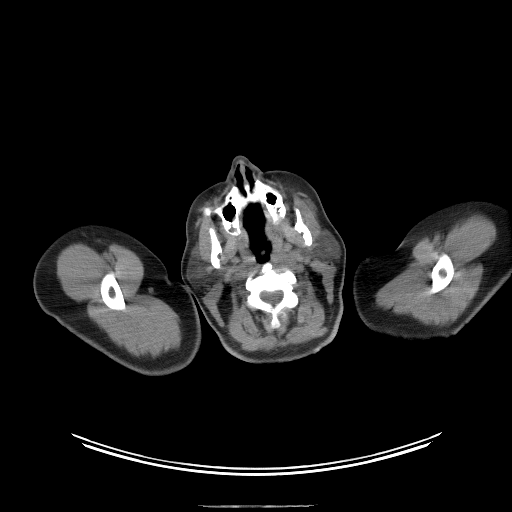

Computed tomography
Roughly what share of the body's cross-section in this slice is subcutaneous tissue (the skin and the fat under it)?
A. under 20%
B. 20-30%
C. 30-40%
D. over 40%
Answer: C. 30-40%
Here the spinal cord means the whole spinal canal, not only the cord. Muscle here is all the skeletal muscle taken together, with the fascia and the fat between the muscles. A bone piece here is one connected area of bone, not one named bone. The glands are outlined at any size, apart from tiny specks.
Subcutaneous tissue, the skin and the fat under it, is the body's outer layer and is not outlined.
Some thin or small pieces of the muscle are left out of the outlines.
{"bones":[{"outer":[[243,170],[251,184],[255,176],[281,194],[285,215],[277,224],[273,224],[271,219],[265,219],[258,203],[250,203],[243,214],[243,226],[247,235],[243,232],[233,236],[226,232],[215,213],[205,216],[202,210],[204,207],[220,204],[235,182],[243,193]],"holes":[[[229,204],[230,204],[233,207],[233,208],[234,209],[234,213],[233,214],[233,216],[230,219],[228,219],[225,216],[225,215],[224,214],[224,209]],[[268,194],[269,194],[270,194],[271,194],[272,195],[273,196],[274,197],[274,198],[274,199],[274,200],[273,201],[273,202],[272,202],[271,202],[270,202],[269,201],[268,201],[268,200],[268,199],[268,198],[268,197],[268,196],[268,195]]]},{"outer":[[267,261],[274,269],[290,269],[296,277],[293,290],[298,297],[297,304],[287,308],[285,314],[278,316],[280,325],[277,328],[271,327],[271,316],[268,313],[250,308],[246,304],[249,292],[245,287],[245,281],[251,272],[257,274],[262,264]],"hole":[[278,290],[279,290],[282,292],[282,297],[281,298],[281,299],[275,305],[272,305],[269,302],[266,302],[265,301],[264,301],[260,297],[260,294],[261,293],[261,292],[262,292],[263,291],[265,291],[266,292],[274,292],[275,291],[277,291]]},[[442,253],[447,254],[451,259],[451,261],[453,264],[453,267],[454,268],[454,275],[450,282],[443,289],[438,292],[436,292],[432,294],[429,294],[428,293],[428,290],[431,286],[431,278],[430,277],[430,274],[433,266],[437,261],[438,256]],[[111,271],[115,273],[117,282],[122,292],[122,294],[124,298],[124,301],[125,302],[125,305],[126,306],[125,310],[114,310],[113,309],[111,309],[109,308],[102,300],[102,298],[101,297],[101,293],[100,292],[100,284],[101,283],[101,280],[105,274]],[[209,227],[213,227],[214,228],[216,236],[221,244],[221,252],[218,255],[218,257],[219,258],[219,262],[220,263],[220,266],[219,268],[215,268],[211,264],[211,262],[210,261],[210,254],[211,253],[211,242],[210,241],[210,235],[208,230],[209,229]],[[294,208],[298,208],[299,209],[302,220],[307,226],[311,233],[311,235],[312,236],[312,243],[311,245],[309,246],[306,246],[304,244],[304,239],[303,238],[303,235],[302,233],[301,232],[298,232],[294,228],[294,225],[296,221],[296,215],[294,211]]],"parotid_glands":[[[324,229],[328,230],[328,231],[331,234],[332,234],[339,245],[339,251],[340,252],[340,254],[339,255],[338,260],[333,260],[332,259],[328,259],[327,260],[320,260],[314,256],[314,248],[315,247],[315,238],[316,237],[316,235],[320,230],[323,230]],[[192,253],[195,253],[195,254],[198,257],[199,257],[202,260],[206,262],[205,263],[205,266],[207,268],[208,283],[207,285],[203,289],[194,289],[192,285],[192,283],[188,279],[187,277],[187,268],[188,267],[188,262],[189,261],[190,256]]],"spinal_cord":[[[278,290],[279,290],[282,292],[282,297],[281,298],[281,299],[275,305],[272,305],[269,302],[266,302],[265,301],[264,301],[260,297],[260,294],[261,293],[261,292],[262,292],[263,291],[265,291],[266,292],[274,292],[275,291],[277,291]]],"left_arm":[[[469,199],[492,200],[503,203],[506,207],[509,222],[509,235],[511,238],[511,274],[507,281],[466,325],[455,335],[448,338],[405,342],[373,333],[360,320],[352,297],[352,276],[357,265],[366,256],[376,251],[393,250],[412,226],[432,212],[452,203]]],"head_and_neck":[{"outer":[[238,154],[246,156],[264,171],[287,170],[307,180],[317,192],[328,218],[345,245],[343,312],[337,333],[330,343],[317,352],[300,359],[257,364],[232,355],[220,343],[181,278],[180,261],[186,242],[185,222],[189,207],[200,192],[225,178],[233,157]],"holes":[[[250,204],[258,204],[259,205],[261,209],[261,212],[264,218],[263,231],[265,235],[265,238],[270,244],[269,257],[266,261],[263,262],[258,261],[256,259],[254,253],[250,247],[250,240],[248,236],[248,233],[244,226],[244,214],[246,209]],[[237,167],[238,167],[239,168],[239,170],[240,171],[240,173],[242,176],[242,189],[243,190],[243,192],[242,191],[242,190],[240,188],[240,187],[238,185],[238,184],[236,181],[236,178],[235,177],[235,171],[236,170],[236,168]],[[229,204],[230,204],[233,207],[233,208],[234,209],[234,213],[233,214],[233,216],[230,219],[228,219],[225,216],[225,215],[224,214],[224,209]],[[245,168],[248,168],[251,171],[251,176],[252,177],[252,182],[251,183],[251,182],[246,177],[246,175],[245,174]],[[268,194],[269,194],[270,194],[271,194],[272,195],[273,196],[274,197],[274,198],[274,199],[274,200],[273,201],[273,202],[272,202],[271,202],[270,202],[269,201],[268,201],[268,200],[268,199],[268,198],[268,197],[268,196],[268,195]]]}],"right_arm":[[[84,224],[102,224],[129,233],[141,241],[162,261],[170,279],[181,280],[184,283],[197,306],[202,329],[202,341],[199,351],[187,367],[164,376],[146,376],[134,372],[116,363],[80,340],[40,308],[35,298],[32,284],[34,268],[39,257],[62,233]]],"muscle":[{"outer":[[258,175],[295,184],[311,198],[325,228],[315,235],[313,256],[337,261],[329,331],[302,344],[248,352],[230,340],[204,304],[200,290],[209,283],[207,262],[191,252],[196,208],[233,182],[222,201],[204,206],[202,214],[215,214],[229,235],[248,237],[255,259],[262,263],[244,281],[245,304],[268,314],[272,329],[280,327],[279,316],[298,304],[297,277],[268,260],[265,220],[277,225],[286,206],[282,194]],"holes":[[[209,227],[213,227],[214,228],[216,236],[221,244],[221,252],[218,255],[218,257],[219,258],[219,262],[220,263],[220,266],[219,268],[215,268],[211,264],[211,262],[210,261],[210,254],[211,253],[211,242],[210,241],[210,235],[208,230],[209,229]],[[294,208],[298,208],[299,209],[302,220],[307,226],[311,233],[311,235],[312,236],[312,243],[311,245],[309,246],[306,246],[304,244],[304,239],[303,238],[303,235],[302,233],[301,232],[298,232],[294,228],[294,225],[296,221],[296,215],[294,211]]]},{"outer":[[73,242],[85,243],[98,251],[101,251],[109,243],[116,242],[133,250],[141,258],[145,274],[144,291],[165,301],[181,318],[182,340],[178,349],[162,353],[155,358],[134,357],[116,346],[87,318],[85,304],[67,296],[56,275],[57,255],[64,247]],"hole":[[111,271],[115,273],[117,282],[122,292],[122,294],[124,298],[124,301],[125,302],[125,305],[126,306],[125,310],[114,310],[113,309],[111,309],[109,308],[102,300],[102,298],[101,297],[101,293],[100,292],[100,284],[101,283],[101,280],[105,274]]},{"outer":[[472,211],[490,217],[496,225],[497,235],[493,245],[480,257],[485,269],[480,288],[457,320],[446,326],[426,325],[410,316],[395,314],[390,309],[376,307],[374,293],[401,271],[410,259],[415,242],[422,236],[431,235],[438,230],[445,233],[458,218]],"hole":[[442,253],[447,254],[451,259],[451,261],[453,264],[453,267],[454,268],[454,275],[450,282],[443,289],[438,292],[436,292],[432,294],[429,294],[428,293],[428,290],[431,286],[431,278],[430,277],[430,274],[433,266],[437,261],[438,256]]}]}